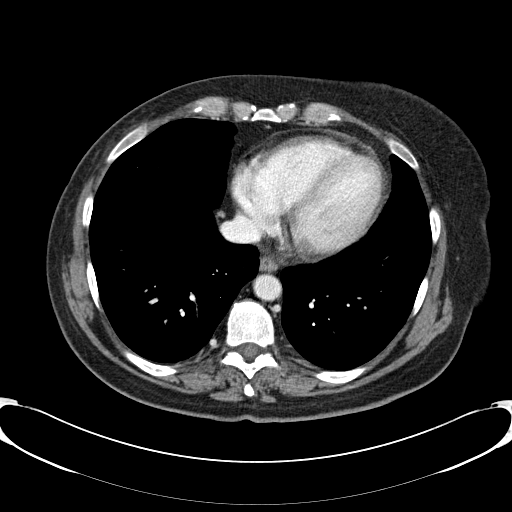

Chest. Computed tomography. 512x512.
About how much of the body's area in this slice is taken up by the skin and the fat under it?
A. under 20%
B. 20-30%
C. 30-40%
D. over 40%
B. 20-30%
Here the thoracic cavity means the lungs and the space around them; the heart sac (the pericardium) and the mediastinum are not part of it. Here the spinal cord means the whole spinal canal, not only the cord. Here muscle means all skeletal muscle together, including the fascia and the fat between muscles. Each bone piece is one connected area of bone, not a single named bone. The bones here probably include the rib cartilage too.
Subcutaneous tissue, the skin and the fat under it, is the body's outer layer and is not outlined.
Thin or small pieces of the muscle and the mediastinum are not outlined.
Outlines (x, y in pixels):
bones 1: 246 299; 258 302; 270 314; 274 324; 275 342; 267 349; 281 365; 281 368; 264 366; 253 375; 249 380; 254 391; 252 396; 244 393; 244 385; 249 381; 245 374; 237 367; 222 364; 219 361; 230 348; 223 342; 230 308; 233 302 with a hole at 244 343; 253 343; 254 344; 256 344; 258 346; 259 346; 262 350; 261 352; 259 353; 253 359; 253 360; 251 361; 247 361; 245 360; 243 356; 239 352; 237 351; 237 347; 241 344; 243 344
bones 2: 212 96; 222 98; 230 104; 243 102; 254 104; 257 108; 272 109; 290 102; 294 102; 301 110; 312 102; 323 103; 334 107; 342 119; 339 122; 318 124; 296 118; 274 122; 240 120; 230 115; 206 116; 194 113; 191 109; 197 100
bones 3: 124 349; 128 349; 134 353; 137 354; 139 356; 151 362; 157 363; 158 364; 169 364; 170 365; 172 365; 177 369; 177 371; 173 374; 163 375; 162 376; 155 376; 154 375; 152 375; 140 369; 137 366; 130 362; 122 353; 122 351
bones 4: 142 123; 146 123; 147 124; 147 126; 148 127; 148 133; 147 135; 141 140; 140 140; 138 142; 128 148; 125 151; 124 151; 118 157; 117 157; 111 163; 110 165; 108 165; 106 162; 106 159; 109 153; 114 147; 114 146; 128 132
bones 5: 362 365; 367 365; 369 366; 370 368; 354 379; 344 383; 336 384; 332 382; 324 381; 317 378; 314 375; 314 373; 315 372; 318 372; 321 370; 329 370; 330 371; 345 371; 346 370; 350 370; 351 369; 353 369; 356 367; 358 367
bones 6: 388 137; 392 137; 396 140; 401 142; 403 144; 404 144; 411 151; 411 152; 415 157; 419 166; 419 168; 417 170; 414 170; 399 157; 398 157; 395 154; 392 153; 390 151; 390 150; 387 147; 386 143; 385 142; 386 138
bones 7: 89 259; 91 260; 91 263; 94 270; 95 279; 97 284; 97 289; 99 294; 99 300; 103 309; 103 312; 101 312; 96 307; 91 296; 91 293; 89 289; 88 281; 87 280; 87 275; 86 274; 86 263; 87 262; 87 260
bones 8: 431 206; 435 206; 438 209; 438 211; 440 215; 440 222; 441 223; 440 225; 440 231; 439 232; 439 236; 438 237; 438 239; 436 243; 433 245; 432 244; 432 240; 431 239; 431 230; 430 229; 430 223; 429 222; 429 209; 431 207
bones 9: 425 275; 426 275; 428 277; 428 287; 427 288; 427 290; 426 291; 424 299; 416 314; 414 316; 410 318; 408 318; 412 310; 412 307; 413 306; 413 304; 414 303; 414 301; 415 300; 415 298; 416 297; 418 289
bones 10: 90 192; 91 192; 94 195; 94 197; 93 198; 93 206; 92 207; 92 211; 91 212; 91 217; 90 218; 90 222; 89 223; 89 227; 88 229; 86 228; 82 223; 82 213; 83 212; 83 205; 84 204; 84 201; 85 200; 85 198
torso: 236 73; 388 83; 437 106; 475 146; 491 194; 486 221; 490 285; 457 353; 427 385; 386 404; 338 416; 293 422; 219 421; 162 410; 117 392; 89 371; 66 343; 47 292; 45 247; 54 208; 76 164; 106 128; 144 100; 182 83
pericardium: 294 128; 333 130; 353 136; 373 148; 379 154; 389 172; 389 191; 387 198; 380 213; 367 233; 358 241; 338 253; 313 263; 298 263; 284 260; 273 251; 263 239; 258 229; 231 203; 226 189; 230 166; 242 152; 276 132
muscle 1: 204 96; 211 96; 197 99; 190 109; 192 113; 214 118; 230 116; 239 120; 184 117; 170 120; 149 133; 148 124; 146 122; 140 123; 110 150; 105 159; 109 167; 95 194; 90 191; 83 201; 81 223; 88 230; 90 258; 85 263; 85 274; 90 296; 128 348; 121 353; 130 363; 155 377; 173 375; 178 369; 170 364; 198 354; 220 332; 225 322; 222 342; 229 348; 218 361; 244 374; 248 381; 243 385; 243 393; 252 397; 255 391; 250 380; 260 369; 282 368; 268 349; 276 342; 275 323; 283 344; 321 369; 313 373; 317 379; 339 385; 365 373; 371 367; 364 364; 381 352; 407 320; 417 314; 429 287; 426 272; 432 245; 439 239; 442 223; 439 209; 435 205; 429 208; 427 205; 415 171; 420 168; 419 163; 435 192; 446 223; 446 274; 453 306; 453 318; 447 328; 407 362; 361 386; 273 402; 249 397; 239 401; 222 401; 176 391; 137 376; 102 354; 73 317; 61 278; 62 258; 70 242; 79 195; 113 141; 148 118
muscle 2: 296 101; 318 101; 326 102; 327 103; 328 103; 329 104; 332 104; 341 107; 366 122; 392 132; 399 137; 405 144; 392 136; 388 136; 384 140; 385 145; 371 133; 355 125; 328 124; 332 122; 339 123; 343 119; 338 110; 334 106; 330 104; 328 104; 327 103; 324 103; 323 102; 312 101; 311 102; 306 104; 301 109; 295 102
thoracic cavity 1: 184 118; 225 120; 235 126; 225 192; 214 210; 214 217; 221 235; 227 241; 252 245; 257 249; 258 266; 254 277; 240 288; 219 332; 198 353; 175 363; 158 363; 131 350; 108 320; 91 259; 89 228; 96 192; 112 163; 160 126
thoracic cavity 2: 391 154; 415 172; 428 208; 431 250; 427 269; 419 284; 405 323; 381 351; 365 363; 350 369; 322 369; 290 350; 277 331; 276 322; 280 319; 283 302; 280 274; 286 267; 298 264; 313 264; 334 256; 358 242; 368 233; 392 190
mediastinum 1: 226 190; 230 203; 257 229; 272 251; 284 261; 297 263; 286 266; 280 271; 282 302; 279 319; 274 323; 269 311; 258 301; 250 298; 234 301; 241 288; 257 274; 259 252; 252 244; 231 242; 222 235; 216 221; 215 210; 220 206
mediastinum 2: 231 121; 268 121; 308 126; 351 125; 360 128; 381 142; 391 153; 389 156; 391 169; 389 196; 390 172; 380 154; 369 144; 353 135; 325 128; 294 127; 276 131; 242 151; 231 162; 227 177; 231 149; 234 144; 233 137; 237 131
spinal cord: 244 343; 253 343; 254 344; 256 344; 258 346; 259 346; 262 350; 261 352; 259 353; 253 359; 253 360; 251 361; 247 361; 245 360; 243 356; 239 352; 237 351; 237 347; 241 344; 243 344